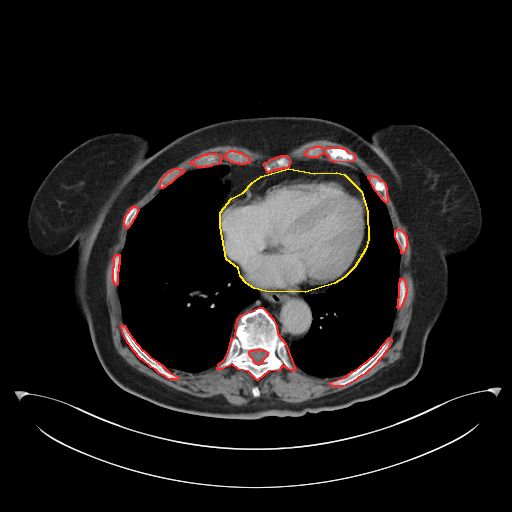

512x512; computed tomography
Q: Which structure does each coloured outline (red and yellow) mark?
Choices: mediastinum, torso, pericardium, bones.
A: red: bones; yellow: pericardium.
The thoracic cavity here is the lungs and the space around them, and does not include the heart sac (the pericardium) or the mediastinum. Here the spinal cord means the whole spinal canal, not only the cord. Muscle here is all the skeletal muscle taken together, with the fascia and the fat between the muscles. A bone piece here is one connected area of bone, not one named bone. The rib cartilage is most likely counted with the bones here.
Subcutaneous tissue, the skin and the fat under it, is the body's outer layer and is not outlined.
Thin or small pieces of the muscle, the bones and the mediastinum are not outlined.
bones 1: (259, 307) (262, 307) (273, 319) (276, 325) (277, 333) (285, 343) (295, 370) (290, 370) (282, 365) (279, 370) (268, 371) (257, 380) (248, 371) (238, 369) (232, 364) (221, 369) (217, 369) (218, 364) (224, 359) (228, 352) (231, 339) (235, 336) (237, 319) (242, 314), around a hole outlined by (254, 349) (262, 349) (263, 350) (264, 350) (267, 352) (267, 355) (262, 360) (262, 361) (263, 362) (262, 363) (260, 363) (259, 364) (258, 364) (257, 363) (255, 363) (254, 362) (253, 359) (250, 356) (250, 355) (249, 354) (249, 351) (250, 351) (251, 350) (253, 350)
bones 2: (389, 337) (391, 339) (391, 342) (389, 346) (383, 354) (383, 355) (377, 361) (377, 362) (364, 374) (361, 375) (353, 381) (343, 386) (333, 386) (330, 384) (330, 382) (344, 377) (352, 371) (355, 370) (365, 362) (366, 362) (378, 351) (378, 350)
bones 3: (121, 325) (124, 325) (125, 326) (126, 329) (132, 338) (142, 350) (143, 350) (150, 357) (161, 364) (169, 372) (177, 376) (177, 378) (176, 379) (169, 379) (167, 378) (165, 376) (159, 373) (155, 369) (151, 367) (142, 359) (141, 359) (133, 350) (126, 340) (122, 332)
bones 4: (315, 146) (320, 146) (324, 149) (327, 147) (341, 147) (342, 148) (344, 148) (348, 152) (352, 153) (354, 155) (354, 159) (353, 161) (335, 162) (334, 161) (330, 160) (329, 157) (323, 152) (317, 157) (309, 157) (305, 154) (305, 152) (308, 149) (312, 147) (314, 147)
bones 5: (208, 153) (217, 153) (219, 154) (221, 156) (221, 158) (220, 159) (220, 163) (218, 164) (215, 164) (211, 166) (205, 166) (204, 167) (198, 167) (194, 164) (190, 164) (190, 162) (191, 161) (194, 160) (196, 158) (199, 157) (201, 155) (203, 155) (204, 154) (207, 154)
bones 6: (281, 155) (286, 155) (288, 157) (290, 161) (288, 167) (287, 168) (281, 168) (280, 169) (276, 169) (275, 170) (272, 170) (270, 172) (267, 172) (263, 164) (265, 162) (268, 161) (270, 159) (272, 158) (274, 158) (275, 157) (277, 157) (278, 156) (280, 156)
bones 7: (369, 175) (373, 175) (374, 176) (376, 176) (380, 180) (381, 180) (384, 182) (384, 183) (385, 184) (385, 186) (386, 187) (386, 195) (387, 196) (387, 202) (385, 202) (381, 198) (381, 197) (374, 189) (374, 188) (373, 187) (370, 180) (368, 178) (368, 176)
bones 8: (230, 150) (233, 150) (234, 151) (237, 151) (238, 152) (240, 152) (244, 155) (247, 156) (249, 159) (249, 162) (248, 163) (245, 163) (244, 164) (240, 164) (239, 163) (234, 163) (233, 162) (231, 162) (225, 157) (225, 155) (226, 154) (226, 153)
bones 9: (175, 168) (177, 168) (180, 170) (181, 169) (183, 169) (183, 172) (181, 174) (180, 174) (178, 176) (177, 176) (170, 183) (169, 183) (164, 187) (163, 187) (162, 188) (160, 188) (160, 182) (161, 181) (162, 178) (169, 171) (170, 171) (171, 170) (172, 170)
bones 10: (397, 229) (400, 229) (402, 231) (403, 231) (403, 232) (405, 234) (405, 235) (406, 236) (406, 240) (407, 241) (406, 242) (406, 247) (405, 248) (405, 251) (402, 253) (401, 253) (401, 249) (400, 248) (400, 246) (399, 245) (399, 244) (395, 237) (395, 230) (396, 230)
bones 11: (400, 278) (403, 278) (405, 281) (405, 286) (406, 287) (406, 293) (405, 294) (405, 297) (403, 300) (403, 302) (402, 303) (402, 304) (401, 305) (401, 306) (399, 308) (398, 308) (397, 307) (397, 306) (398, 305) (398, 298) (399, 297) (399, 282) (400, 281)
bones 12: (133, 206) (136, 206) (137, 207) (138, 210) (137, 211) (134, 218) (132, 220) (131, 223) (129, 225) (129, 226) (127, 228) (126, 228) (124, 225) (124, 219) (125, 218) (125, 216) (126, 215) (126, 214) (129, 211) (129, 210) (131, 208) (131, 207) (132, 207)
bones 13: (116, 254) (119, 254) (119, 264) (118, 265) (118, 271) (117, 272) (117, 284) (116, 285) (114, 283) (114, 282) (113, 281) (113, 275) (112, 274) (113, 273) (113, 267) (114, 266) (114, 261) (113, 260) (113, 258) (114, 257) (114, 256)
pericardium: (288, 168) (314, 173) (336, 172) (344, 174) (361, 191) (367, 211) (368, 239) (365, 249) (354, 267) (344, 277) (334, 283) (305, 292) (265, 291) (254, 288) (246, 283) (240, 276) (238, 268) (226, 259) (220, 226) (220, 212) (231, 198) (243, 192) (252, 182) (261, 176)
spinal cord: (254, 349) (262, 349) (263, 350) (264, 350) (267, 352) (267, 355) (262, 360) (262, 361) (263, 362) (262, 363) (260, 363) (259, 364) (258, 364) (257, 363) (255, 363) (254, 362) (253, 359) (250, 356) (250, 355) (249, 354) (249, 351) (250, 351) (251, 350) (253, 350)
muscle: (318, 139) (347, 146) (383, 180) (373, 174) (367, 176) (351, 163) (344, 163) (353, 162) (355, 155) (341, 146) (315, 145) (304, 152) (308, 157) (291, 161) (286, 154) (281, 154) (262, 164) (249, 163) (247, 155) (230, 149) (224, 155) (230, 162) (221, 163) (219, 153) (208, 152) (189, 162) (195, 168) (184, 172) (177, 167) (169, 170) (161, 178) (157, 193) (145, 205) (139, 209) (136, 205) (131, 206) (123, 219) (127, 229) (123, 248) (112, 258) (112, 281) (117, 288) (123, 321) (121, 332) (139, 358) (169, 380) (176, 380) (178, 376) (167, 369) (198, 373) (214, 366) (221, 370) (232, 365) (258, 381) (282, 366) (294, 372) (295, 365) (319, 378) (344, 376) (330, 381) (333, 387) (353, 382) (370, 370) (390, 346) (389, 336) (396, 312) (407, 293) (406, 281) (400, 277) (400, 262) (408, 241) (403, 230) (393, 228) (386, 205) (387, 188) (411, 241) (414, 299) (401, 357) (368, 378) (331, 394) (298, 403) (260, 397) (243, 405) (232, 404) (220, 394) (191, 395) (130, 365) (113, 344) (105, 283) (106, 254) (116, 241) (126, 209) (168, 169) (204, 149) (236, 145) (275, 156); inner edge: (254, 386) (257, 386) (258, 387) (258, 388) (259, 389) (259, 396) (258, 397) (254, 397) (253, 396) (253, 394) (252, 393) (252, 389) (253, 388) (253, 387)
mediastinum 1: (340, 280) (324, 291) (310, 293) (304, 296) (304, 299) (311, 310) (312, 321) (307, 333) (302, 338) (294, 340) (288, 348) (278, 333) (274, 319) (262, 306) (246, 311) (237, 318) (239, 313) (246, 306) (259, 298) (260, 293) (258, 290) (265, 292) (305, 293) (325, 288)
mediastinum 2: (254, 162) (261, 164) (265, 171) (268, 173) (261, 175) (252, 181) (243, 191) (231, 197) (223, 205) (220, 211) (220, 207) (228, 190) (228, 186) (227, 185) (226, 187) (223, 187) (220, 180) (220, 178) (229, 171) (229, 167) (224, 164) (233, 163) (244, 165) (251, 164)
mediastinum 3: (303, 158) (321, 158) (329, 160) (335, 163) (351, 164) (352, 166) (357, 167) (362, 172) (360, 174) (360, 184) (361, 185) (361, 189) (362, 190) (362, 193) (362, 191) (361, 190) (360, 189) (358, 185) (349, 176) (344, 173) (336, 171) (318, 171) (314, 172) (289, 167) (290, 163) (292, 161)
mediastinum 4: (368, 216) (368, 224) (369, 225) (369, 230) (370, 231) (370, 240) (369, 241) (369, 245) (365, 251) (365, 253) (363, 255) (363, 257) (359, 263) (355, 267) (362, 257) (366, 249) (366, 246) (368, 243) (368, 240) (369, 239) (369, 237) (368, 236) (369, 235) (368, 234)
torso: (265, 116) (328, 119) (367, 139) (394, 122) (428, 129) (472, 182) (480, 235) (445, 257) (447, 301) (405, 385) (299, 416) (162, 407) (103, 369) (78, 299) (80, 240) (57, 256) (39, 253) (28, 237) (30, 204) (54, 165) (96, 135) (134, 132) (151, 153) (202, 126)
thoracic cavity 1: (219, 164) (228, 167) (219, 178) (222, 187) (227, 186) (219, 207) (224, 258) (259, 296) (238, 313) (231, 327) (229, 347) (220, 362) (198, 372) (167, 368) (142, 349) (124, 324) (117, 287) (120, 254) (128, 228) (138, 211) (160, 189) (189, 170)
thoracic cavity 2: (362, 173) (385, 203) (394, 237) (400, 249) (397, 309) (388, 337) (371, 357) (345, 375) (319, 377) (300, 369) (291, 359) (288, 349) (294, 341) (302, 339) (308, 333) (313, 321) (312, 310) (305, 296) (324, 292) (340, 282) (360, 263) (370, 245) (371, 231) (361, 184)